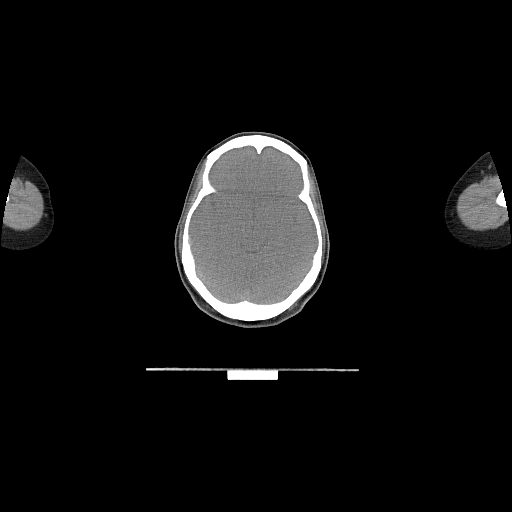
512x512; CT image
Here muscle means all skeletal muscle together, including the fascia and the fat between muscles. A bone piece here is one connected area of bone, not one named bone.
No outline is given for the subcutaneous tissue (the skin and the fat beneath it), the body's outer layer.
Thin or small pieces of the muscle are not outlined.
The bones appear in 2 outlined pieces: piece 1: (254, 134) (274, 137) (287, 143) (307, 161) (309, 195) (321, 232) (321, 267) (311, 287) (283, 312) (271, 318) (250, 321) (227, 317) (215, 310) (203, 299) (189, 282) (184, 272) (181, 261) (181, 250) (185, 220) (187, 213) (202, 186) (202, 175) (207, 155) (232, 138); inner edge: (247, 146) (253, 147) (257, 154) (272, 147) (297, 164) (302, 184) (296, 196) (306, 206) (315, 229) (316, 245) (308, 270) (285, 297) (268, 303) (247, 299) (229, 302) (214, 295) (197, 273) (191, 248) (192, 216) (202, 200) (217, 191) (209, 177) (213, 165) (226, 152); piece 2: (502, 188) (502, 189) (503, 190) (503, 192) (505, 195) (505, 202) (506, 203) (506, 209) (506, 208) (504, 206) (503, 206) (502, 205) (500, 205) (499, 204) (498, 204) (496, 202) (496, 199) (497, 198) (497, 197) (498, 196) (498, 195) (501, 192) (501, 191) (502, 190). The right arm is outlined by (22, 155) (31, 161) (40, 170) (48, 183) (50, 189) (51, 203) (54, 210) (54, 225) (53, 229) (47, 239) (41, 244) (30, 249) (11, 250) (4, 248) (1, 245) (2, 225) (4, 220) (4, 213) (8, 203) (8, 198) (10, 197) (9, 192) (12, 178) (19, 159). The muscle appears in 5 outlined pieces: piece 1: (495, 171) (497, 172) (499, 183) (501, 187) (501, 190) (497, 195) (495, 202) (498, 205) (505, 208) (507, 212) (508, 221) (495, 229) (489, 229) (483, 231) (470, 230) (466, 228) (461, 223) (457, 216) (455, 209) (457, 198) (460, 193) (469, 184) (477, 181) (484, 175); piece 2: (18, 176) (24, 177) (36, 185) (42, 195) (44, 202) (44, 213) (45, 214) (41, 219) (41, 221) (35, 227) (25, 231) (13, 230) (9, 228) (5, 224) (4, 221) (4, 213) (8, 203) (8, 198) (10, 197) (9, 192) (10, 191) (10, 186) (12, 182) (12, 178); piece 3: (204, 160) (204, 167) (201, 175) (201, 186) (197, 192) (196, 197) (188, 209) (184, 220) (180, 256) (180, 252) (178, 246) (179, 243) (179, 229) (180, 228) (181, 221) (183, 218) (183, 215) (185, 212) (187, 203) (189, 200) (189, 197) (193, 189) (193, 186) (198, 171); piece 4: (308, 167) (309, 167) (310, 172) (314, 180) (314, 184) (317, 195) (317, 200) (319, 204) (320, 212) (322, 216) (322, 220) (324, 225) (324, 231) (325, 232) (325, 249) (323, 254) (322, 262) (322, 232) (320, 227) (319, 219) (310, 195) (310, 180) (309, 179) (309, 170); piece 5: (298, 300) (298, 302) (297, 303) (297, 304) (292, 309) (291, 309) (290, 310) (286, 310) (287, 309) (288, 309) (296, 301) (297, 301). The left arm is outlined by (487, 151) (489, 152) (491, 156) (497, 172) (500, 186) (502, 188) (505, 195) (506, 211) (509, 223) (510, 243) (507, 246) (496, 250) (476, 250) (461, 245) (450, 235) (445, 225) (444, 217) (443, 216) (443, 210) (447, 196) (454, 183) (463, 172) (479, 156). The brain is outlined by (247, 146) (253, 147) (257, 154) (272, 147) (297, 164) (302, 184) (296, 196) (306, 206) (315, 229) (316, 245) (308, 270) (285, 297) (268, 303) (247, 299) (229, 302) (214, 295) (197, 273) (191, 248) (192, 216) (202, 200) (217, 191) (209, 177) (213, 165) (226, 152). The head is outlined by (249, 130) (267, 131) (281, 135) (292, 141) (307, 154) (317, 178) (329, 232) (329, 258) (322, 282) (317, 291) (296, 315) (279, 324) (257, 328) (229, 325) (210, 317) (200, 310) (180, 279) (174, 253) (176, 225) (190, 180) (200, 158) (206, 150) (220, 140) (236, 132).